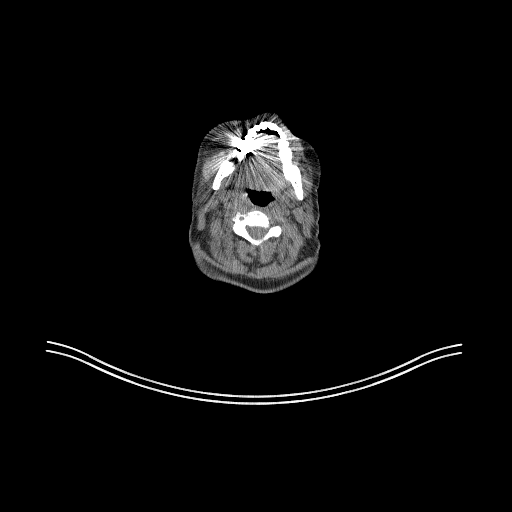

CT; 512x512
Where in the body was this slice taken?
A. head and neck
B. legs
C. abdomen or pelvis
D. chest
A. head and neck
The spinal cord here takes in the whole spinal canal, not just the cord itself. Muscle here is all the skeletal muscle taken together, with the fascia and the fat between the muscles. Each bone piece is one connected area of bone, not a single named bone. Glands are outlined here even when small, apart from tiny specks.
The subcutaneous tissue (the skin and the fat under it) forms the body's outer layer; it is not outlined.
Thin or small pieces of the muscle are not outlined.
The head and neck is outlined by 266 111; 277 113; 294 134; 307 140; 313 146; 319 157; 321 164; 318 188; 320 255; 315 269; 299 282; 278 292; 256 293; 215 281; 204 275; 193 261; 188 243; 188 230; 192 207; 192 177; 198 148; 203 137; 222 121; 251 118; inner edge: 248 190; 255 190; 256 191; 257 191; 258 192; 269 192; 269 193; 271 195; 271 199; 267 203; 266 203; 265 204; 264 204; 263 205; 260 205; 259 204; 258 204; 257 203; 254 203; 250 199; 250 197; 249 196; 249 195; 248 194. The muscle appears in 2 outlined pieces: piece 1: 269 120; 300 142; 313 168; 311 193; 302 203; 313 215; 308 252; 313 259; 282 278; 255 279; 224 272; 198 255; 197 211; 212 189; 218 190; 235 170; 232 159; 240 162; 261 135; 273 138; 284 178; 295 198; 304 199; 290 139, around a hole outlined by 253 208; 258 209; 264 212; 273 220; 276 221; 281 227; 281 233; 278 237; 271 237; 263 242; 262 244; 262 251; 261 252; 260 249; 258 247; 252 245; 246 239; 236 234; 233 231; 232 228; 233 225; 232 217; 237 212; 245 213; piece 2: 249 123; 254 124; 245 130; 235 148; 230 153; 219 159; 217 164; 217 169; 211 182; 211 188; 203 181; 201 174; 204 161; 203 160; 206 155; 204 152; 206 149; 210 147; 212 138; 224 129; 233 129; 237 127; 244 126. The bones appear in 2 outlined pieces: piece 1: 261 121; 275 123; 287 135; 292 160; 301 174; 302 200; 296 198; 291 183; 284 176; 278 144; 273 137; 268 138; 262 134; 254 139; 240 161; 231 159; 235 164; 234 170; 221 181; 218 189; 212 188; 220 159; 236 148; 248 128; piece 2: 253 208; 258 209; 264 212; 273 220; 276 221; 281 227; 281 233; 278 237; 271 237; 263 242; 262 244; 262 251; 261 252; 260 249; 258 247; 252 245; 246 239; 236 234; 233 231; 232 228; 233 225; 232 217; 237 212; 245 213; inner edge: 247 227; 261 227; 262 228; 264 228; 265 229; 266 229; 267 230; 266 231; 266 232; 265 233; 265 234; 262 237; 261 237; 260 238; 254 238; 253 237; 252 237; 250 235; 250 234; 248 232; 248 231; 247 230. The parotid glands appear in 2 outlined pieces: piece 1: 200 175; 202 181; 207 186; 208 186; 211 189; 211 193; 210 194; 210 197; 205 202; 204 202; 202 204; 201 204; 200 205; 198 205; 196 203; 196 194; 197 193; 197 184; 198 183; 198 180; 199 179; 199 176; piece 2: 311 194; 311 198; 312 199; 312 203; 313 204; 313 214; 311 214; 310 213; 309 213; 308 212; 307 212; 305 210; 305 209; 303 207; 303 203; 304 202; 304 201; 305 200; 305 199; 306 198; 306 197; 307 196; 308 196. The spinal cord is outlined by 247 227; 261 227; 262 228; 264 228; 265 229; 266 229; 267 230; 266 231; 266 232; 265 233; 265 234; 262 237; 261 237; 260 238; 254 238; 253 237; 252 237; 250 235; 250 234; 248 232; 248 231; 247 230.